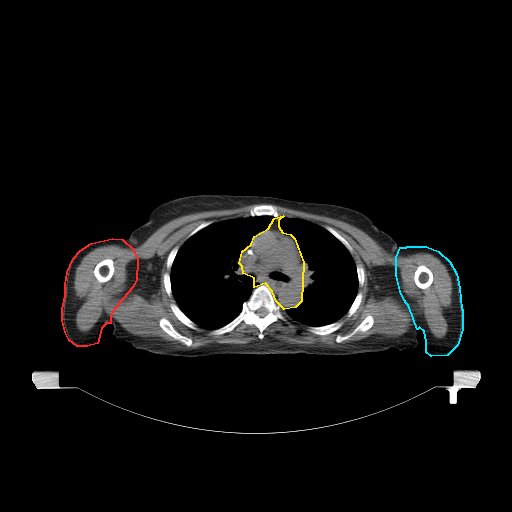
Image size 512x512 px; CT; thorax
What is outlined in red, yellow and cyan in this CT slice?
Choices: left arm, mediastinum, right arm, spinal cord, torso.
red: right arm; yellow: mediastinum; cyan: left arm.
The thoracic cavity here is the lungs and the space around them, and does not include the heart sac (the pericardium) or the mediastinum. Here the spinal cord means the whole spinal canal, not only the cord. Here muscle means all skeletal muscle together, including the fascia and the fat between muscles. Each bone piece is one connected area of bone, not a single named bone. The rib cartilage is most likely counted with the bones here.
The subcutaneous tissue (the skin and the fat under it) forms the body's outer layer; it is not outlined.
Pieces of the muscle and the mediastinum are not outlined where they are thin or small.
{"right_arm":[[[112,238],[122,239],[133,249],[137,260],[136,279],[133,286],[112,311],[110,316],[110,323],[106,323],[101,328],[97,343],[87,346],[77,346],[69,340],[65,332],[62,320],[62,309],[65,295],[65,284],[67,272],[73,258],[80,250],[91,243]]],"mediastinum":[[[280,216],[283,216],[278,220],[278,226],[282,232],[290,234],[294,238],[303,262],[301,301],[295,307],[284,309],[276,301],[272,291],[265,283],[254,287],[254,278],[243,273],[242,266],[239,263],[242,251],[251,244],[254,236],[268,228],[274,218]]],"left_arm":[[[407,246],[426,246],[438,251],[449,261],[456,273],[459,288],[461,308],[462,309],[462,329],[457,345],[447,355],[431,356],[426,352],[426,341],[424,331],[419,327],[417,329],[409,307],[404,300],[400,291],[396,275],[396,257],[400,247],[406,247]]],"torso":[[[195,194],[274,196],[341,205],[368,216],[399,246],[395,275],[415,324],[418,344],[409,349],[389,348],[345,356],[294,353],[183,357],[151,353],[118,340],[113,335],[111,316],[138,275],[136,253],[121,237],[126,238],[143,224],[148,212],[160,203]]],"bones":[{"outer":[[261,284],[265,284],[271,291],[275,301],[286,315],[286,319],[269,324],[262,333],[262,339],[259,338],[259,329],[254,324],[248,324],[243,327],[242,322],[228,332],[217,336],[211,335],[212,330],[229,323],[240,313],[243,303],[249,299],[253,289]],"hole":[[261,307],[264,307],[267,310],[267,313],[264,316],[263,316],[262,317],[261,317],[260,316],[259,316],[256,313],[256,311],[259,308],[260,308]]},[[106,258],[110,258],[113,261],[113,265],[114,266],[114,271],[110,279],[104,282],[100,282],[98,281],[98,280],[95,277],[93,271],[94,270],[94,268],[95,266],[100,261]],[[419,265],[424,265],[425,266],[426,266],[431,271],[431,272],[433,275],[433,279],[432,280],[432,282],[431,283],[431,284],[428,287],[427,287],[424,289],[422,289],[421,288],[418,287],[416,285],[416,284],[414,281],[414,273],[415,272],[417,267]],[[163,317],[164,318],[166,318],[170,322],[170,323],[173,326],[173,327],[179,333],[180,333],[184,336],[186,336],[190,338],[192,340],[192,343],[190,346],[187,346],[185,344],[173,338],[161,328],[161,327],[159,325],[159,320]],[[369,314],[370,314],[373,317],[373,319],[374,320],[373,324],[370,328],[363,332],[359,331],[352,335],[349,338],[339,343],[336,341],[335,339],[337,335],[340,335],[342,336],[343,335],[345,335],[346,334],[350,333],[366,317],[366,316]],[[257,204],[271,204],[276,207],[276,208],[277,209],[278,212],[280,214],[280,215],[279,216],[277,216],[276,217],[275,217],[272,215],[255,215],[254,216],[249,215],[249,212],[250,211],[250,209],[252,207],[253,207],[255,205],[256,205]],[[336,321],[342,321],[343,324],[341,326],[341,327],[340,327],[337,330],[335,331],[333,331],[325,335],[319,335],[318,334],[315,334],[308,330],[308,326],[323,326],[324,325],[327,325],[328,324],[333,323]],[[172,302],[175,303],[181,310],[181,311],[188,318],[189,318],[197,325],[197,328],[198,329],[197,330],[195,329],[193,329],[192,328],[190,328],[188,326],[185,325],[177,318],[177,317],[174,314],[174,313],[172,311],[170,307],[170,304]],[[324,226],[330,226],[332,228],[333,228],[341,236],[342,236],[349,243],[349,244],[352,247],[352,249],[353,250],[352,251],[352,252],[351,253],[349,251],[349,250],[344,245],[344,244],[332,233],[331,233],[328,230],[327,230],[324,227]],[[358,292],[361,292],[361,293],[362,294],[362,297],[361,298],[361,301],[360,302],[358,307],[356,309],[356,310],[350,316],[349,316],[348,317],[347,316],[347,312],[348,311],[349,308],[351,306],[351,305],[352,304],[352,303],[353,302],[353,301]],[[166,272],[168,272],[169,273],[169,276],[170,277],[170,284],[171,285],[171,292],[172,293],[172,295],[171,296],[169,296],[167,294],[167,293],[166,292],[166,290],[165,289],[165,287],[164,286],[164,282],[163,281],[163,275]],[[176,246],[177,247],[178,247],[178,250],[177,251],[177,252],[174,257],[174,259],[172,262],[172,264],[171,265],[171,267],[170,268],[170,269],[168,269],[167,268],[167,257],[168,256],[168,254],[170,252],[170,251],[174,247],[175,247]],[[356,265],[360,265],[361,266],[362,266],[362,267],[364,269],[364,280],[363,281],[363,284],[362,285],[362,286],[359,286],[359,282],[358,281],[358,275],[357,274],[357,269],[356,268]],[[208,220],[211,220],[212,221],[212,222],[210,224],[209,224],[208,225],[203,227],[201,229],[198,230],[195,233],[194,233],[192,235],[191,235],[189,237],[188,237],[189,234],[196,227],[197,227],[203,222],[204,222],[205,221],[207,221]]],"thoracic_cavity":[[[247,216],[274,217],[268,227],[258,231],[253,236],[250,244],[241,251],[239,256],[238,263],[242,273],[253,278],[251,293],[248,299],[242,303],[239,313],[229,322],[214,329],[198,325],[178,306],[172,292],[170,272],[179,248],[188,238],[212,223]],[[283,217],[302,219],[324,228],[339,240],[350,253],[355,264],[358,287],[347,311],[338,320],[323,325],[307,325],[292,319],[284,312],[287,308],[295,308],[302,301],[302,269],[304,267],[304,262],[295,238],[290,233],[282,231],[279,226],[279,220]]],"muscle":[{"outer":[[251,204],[256,204],[246,216],[215,222],[208,219],[196,226],[179,247],[174,246],[167,254],[166,268],[170,271],[162,275],[162,281],[166,294],[175,300],[169,304],[171,311],[190,329],[197,331],[200,326],[217,337],[242,323],[243,328],[254,325],[258,338],[245,344],[210,343],[179,348],[177,343],[158,336],[135,335],[104,311],[88,331],[77,328],[75,270],[90,251],[111,244],[137,247],[162,225],[179,216]],"holes":[[[155,257],[158,257],[162,259],[162,264],[159,273],[158,289],[149,296],[142,296],[137,293],[134,293],[133,292],[130,292],[127,294],[125,292],[125,290],[128,284],[128,276],[129,275],[128,274],[128,266],[129,264],[136,260],[147,260]],[[106,258],[110,258],[113,261],[113,265],[114,266],[114,271],[110,279],[104,282],[100,282],[98,281],[98,280],[95,277],[93,271],[94,270],[94,268],[95,266],[100,261]],[[163,317],[164,318],[166,318],[170,322],[170,323],[173,326],[173,327],[179,333],[180,333],[184,336],[186,336],[190,338],[192,340],[192,343],[190,346],[187,346],[185,344],[173,338],[161,328],[161,327],[159,325],[159,320]]]},{"outer":[[274,205],[351,224],[392,255],[424,252],[438,258],[452,283],[451,304],[445,312],[446,334],[436,338],[423,316],[415,314],[411,325],[400,335],[372,334],[345,342],[341,347],[264,338],[263,333],[269,325],[284,322],[287,316],[306,325],[315,335],[325,336],[337,331],[344,324],[340,318],[346,313],[350,317],[359,307],[363,294],[358,288],[365,280],[365,269],[355,263],[351,254],[353,247],[333,227],[281,215]],"holes":[[[376,266],[392,266],[393,267],[396,267],[398,269],[399,277],[400,278],[400,284],[399,287],[404,295],[402,302],[391,295],[385,295],[382,297],[377,297],[375,296],[372,291],[370,291],[370,287],[369,286],[370,285],[370,275],[371,274],[370,269]],[[419,265],[424,265],[425,266],[426,266],[431,271],[431,272],[433,275],[433,279],[432,280],[432,282],[431,283],[431,284],[428,287],[427,287],[424,289],[422,289],[421,288],[418,287],[416,285],[416,284],[414,281],[414,273],[415,272],[417,267]],[[369,314],[370,314],[373,317],[373,319],[374,320],[373,324],[370,328],[363,332],[359,331],[352,335],[349,338],[339,343],[336,341],[335,339],[337,335],[340,335],[342,336],[343,335],[345,335],[346,334],[350,333],[366,317],[366,316]]]}],"spinal_cord":[[[261,307],[264,307],[267,310],[267,313],[264,316],[263,316],[262,317],[261,317],[260,316],[259,316],[256,313],[256,311],[259,308],[260,308]]]}